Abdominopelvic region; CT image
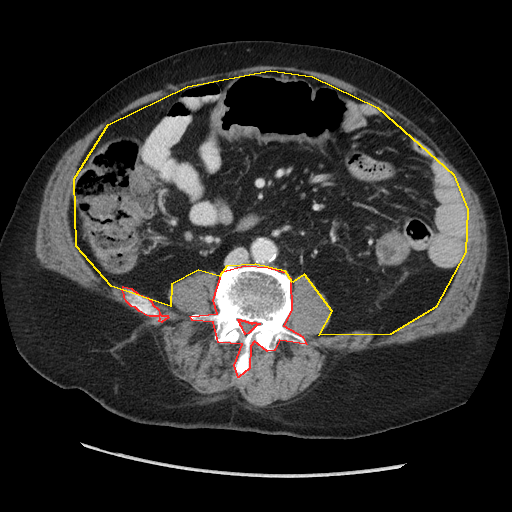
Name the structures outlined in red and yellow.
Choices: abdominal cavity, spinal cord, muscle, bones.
red: bones; yellow: abdominal cavity.
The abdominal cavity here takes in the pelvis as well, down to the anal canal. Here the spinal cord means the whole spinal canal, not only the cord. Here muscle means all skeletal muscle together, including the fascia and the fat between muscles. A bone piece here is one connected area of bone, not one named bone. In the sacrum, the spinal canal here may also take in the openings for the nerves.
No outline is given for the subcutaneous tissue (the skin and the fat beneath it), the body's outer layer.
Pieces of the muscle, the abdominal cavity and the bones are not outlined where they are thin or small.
{"bones":[{"outer":[[245,265],[268,267],[285,272],[290,278],[291,310],[283,325],[302,336],[306,344],[279,340],[274,350],[267,351],[254,341],[250,346],[249,368],[238,377],[234,365],[242,344],[218,342],[213,322],[192,320],[190,316],[217,313],[213,300],[222,271]],"hole":[[238,319],[240,319],[241,320],[244,320],[245,321],[247,321],[248,322],[250,322],[251,323],[252,323],[253,322],[255,322],[256,323],[259,323],[259,324],[256,325],[248,333],[245,334],[245,333],[244,332],[242,327],[240,325],[240,323],[239,322]]},[[123,286],[131,288],[137,293],[147,297],[151,301],[152,304],[158,309],[159,313],[161,315],[167,315],[168,317],[161,322],[159,321],[160,318],[159,316],[149,316],[146,315],[139,311],[135,307],[131,306],[126,301],[124,297],[124,294],[122,290]]],"abdominal_cavity":[[[270,70],[312,76],[377,107],[453,174],[467,209],[465,252],[435,307],[390,334],[319,335],[332,311],[304,274],[292,282],[285,271],[255,264],[226,266],[219,276],[198,270],[171,284],[170,306],[111,286],[76,246],[74,178],[108,124],[187,86]]],"spinal_cord":[[[238,319],[240,319],[241,320],[244,320],[245,321],[247,321],[248,322],[250,322],[251,323],[252,323],[253,322],[255,322],[256,323],[259,323],[259,324],[256,325],[248,333],[245,334],[245,333],[244,332],[242,327],[240,325],[240,323],[239,322]]],"torso":[[[236,40],[323,46],[380,63],[421,90],[454,124],[481,162],[497,196],[507,235],[509,289],[493,351],[463,404],[407,425],[346,439],[144,424],[107,410],[78,389],[56,386],[20,355],[4,303],[0,240],[40,157],[76,117],[126,76],[186,49]]],"muscle":[{"outer":[[258,65],[287,66],[325,73],[339,78],[366,91],[398,110],[415,123],[437,144],[450,162],[478,195],[485,216],[486,228],[487,229],[487,248],[488,249],[481,288],[475,308],[472,314],[467,319],[467,321],[461,328],[454,332],[436,334],[432,336],[420,338],[415,341],[408,342],[404,344],[392,344],[374,349],[352,352],[343,356],[342,355],[336,361],[336,363],[331,366],[327,371],[325,376],[317,383],[316,386],[311,390],[306,392],[299,399],[279,407],[255,407],[250,405],[241,396],[237,390],[229,389],[220,393],[214,393],[210,395],[195,393],[187,390],[184,386],[179,383],[169,370],[168,364],[164,359],[164,357],[160,351],[160,348],[156,344],[155,339],[150,332],[148,325],[144,321],[139,320],[117,303],[105,298],[94,291],[91,291],[87,288],[82,287],[75,281],[73,281],[53,270],[43,267],[40,264],[35,254],[36,229],[45,186],[57,162],[64,152],[73,143],[82,138],[92,129],[130,102],[141,96],[162,89],[168,84],[177,84],[187,80],[210,74],[227,72],[236,69]],"hole":[[270,70],[331,84],[421,137],[453,174],[468,231],[441,300],[390,334],[319,335],[331,319],[329,301],[309,277],[294,276],[283,325],[306,344],[279,340],[267,351],[254,341],[249,368],[238,377],[242,344],[220,343],[213,322],[190,318],[218,312],[218,274],[198,270],[172,283],[171,306],[148,296],[168,317],[146,315],[126,301],[122,285],[111,286],[85,261],[71,233],[70,200],[84,153],[121,115],[190,85]]}]}